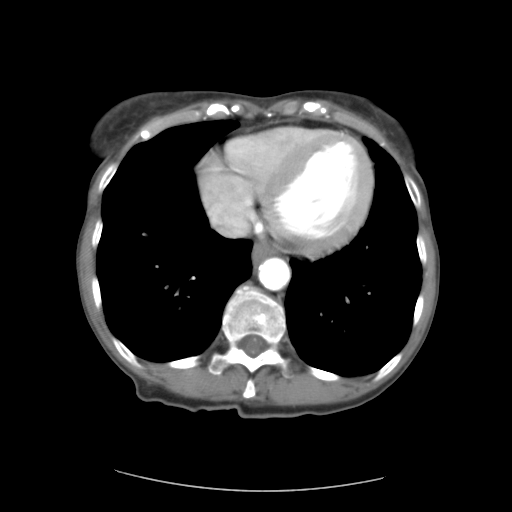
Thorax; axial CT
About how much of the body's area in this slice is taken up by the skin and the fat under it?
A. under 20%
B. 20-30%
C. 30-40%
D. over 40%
A. under 20%
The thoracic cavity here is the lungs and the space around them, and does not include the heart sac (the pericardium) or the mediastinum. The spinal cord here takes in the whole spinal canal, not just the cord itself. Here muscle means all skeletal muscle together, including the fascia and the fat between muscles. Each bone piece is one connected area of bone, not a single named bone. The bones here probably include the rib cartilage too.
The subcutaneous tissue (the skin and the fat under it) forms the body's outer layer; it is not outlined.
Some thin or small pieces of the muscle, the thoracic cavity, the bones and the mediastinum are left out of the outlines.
Outlines:
muscle: 297 97; 307 98; 308 99; 324 99; 331 101; 333 103; 335 103; 345 109; 347 109; 359 115; 375 126; 383 134; 386 139; 391 143; 393 147; 398 152; 399 155; 404 160; 423 195; 426 205; 426 210; 428 215; 428 223; 431 231; 431 237; 435 252; 435 278; 436 279; 436 285; 435 286; 435 296; 432 310; 425 330; 418 344; 403 365; 390 378; 377 388; 359 397; 347 401; 337 402; 336 403; 316 404; 315 405; 298 405; 297 406; 277 406; 276 405; 254 406; 246 404; 242 401; 237 401; 236 400; 212 401; 211 400; 184 397; 181 395; 171 392; 159 385; 149 385; 147 384; 145 380; 136 375; 126 367; 112 353; 104 343; 90 318; 82 294; 80 275; 79 274; 79 252; 85 228; 85 224; 89 212; 90 194; 98 174; 106 163; 127 141; 128 138; 140 126; 157 115; 163 115; 187 106; 192 103; 205 99; 220 99; 221 98; 242 99; 250 101; 262 107; 267 107; 279 100; 287 98; 296 98, around holes outlined by 291 101; 299 106; 316 101; 331 115; 341 112; 371 127; 419 191; 423 307; 400 360; 377 381; 375 371; 327 381; 309 372; 284 336; 277 347; 289 359; 290 377; 269 364; 251 373; 235 363; 213 374; 207 369; 211 355; 229 345; 220 333; 196 366; 173 368; 138 356; 142 367; 132 365; 115 347; 91 287; 103 173; 121 162; 135 135; 155 119; 214 102; 241 105; 231 116; 277 117 and by 249 378; 252 378; 254 381; 254 387; 255 388; 255 395; 253 397; 250 397; 249 398; 245 398; 244 397; 243 397; 243 396; 242 395; 242 393; 243 392; 243 391; 244 390; 244 389; 246 386; 246 383; 247 382; 247 380
pericardium: 290 120; 306 124; 340 126; 353 132; 363 142; 375 169; 375 187; 364 224; 349 243; 332 253; 313 260; 298 257; 291 253; 276 252; 266 248; 251 236; 224 234; 212 227; 200 200; 194 172; 194 166; 202 156; 212 146; 236 130
torso: 302 89; 368 97; 399 120; 413 141; 441 267; 437 307; 423 345; 381 394; 325 415; 249 419; 235 409; 191 412; 142 401; 131 379; 98 343; 78 294; 76 240; 98 164; 86 149; 93 124; 113 104; 142 92; 218 90; 269 96
thoracic cavity 1: 207 119; 232 120; 238 125; 192 166; 199 200; 210 228; 225 238; 251 241; 251 271; 227 300; 219 334; 203 352; 165 362; 151 361; 137 356; 112 333; 106 321; 96 272; 97 248; 103 229; 102 196; 121 161; 135 144; 169 127
thoracic cavity 2: 365 136; 383 148; 396 162; 415 208; 415 243; 421 265; 421 283; 411 328; 401 349; 374 372; 342 376; 308 364; 298 356; 285 336; 284 303; 293 274; 291 259; 314 262; 340 250; 350 243; 368 218; 376 187; 376 166; 363 141
bones 1: 241 285; 253 286; 283 305; 286 333; 277 347; 289 359; 290 377; 283 376; 279 367; 269 364; 260 366; 253 373; 240 363; 229 365; 220 374; 208 371; 211 355; 214 352; 223 353; 228 348; 227 339; 220 333; 222 316; 228 300 with a hole at 248 335; 257 335; 261 337; 265 341; 266 343; 266 347; 261 352; 260 352; 257 355; 255 356; 250 356; 248 354; 247 354; 245 352; 245 351; 239 346; 238 344; 239 342; 244 337
bones 2: 214 102; 222 103; 228 107; 237 103; 243 107; 243 110; 240 113; 232 113; 223 118; 209 117; 197 121; 172 125; 163 129; 147 140; 136 143; 133 141; 135 135; 143 127; 155 119; 187 110; 194 109; 204 110; 211 103
bones 3: 291 101; 296 101; 299 106; 306 101; 316 101; 319 102; 328 109; 331 116; 329 118; 326 118; 323 115; 318 115; 313 112; 307 112; 306 111; 303 112; 301 115; 300 115; 297 111; 291 115; 283 115; 282 114; 283 107; 287 103
bones 4: 334 112; 341 112; 344 114; 346 114; 357 120; 361 121; 366 125; 371 127; 385 142; 385 144; 386 145; 385 148; 380 146; 373 139; 368 137; 361 131; 353 127; 351 127; 348 125; 346 125; 345 124; 343 124; 336 121; 332 114
bones 5: 112 335; 116 337; 121 342; 122 342; 124 344; 124 345; 127 348; 128 348; 136 356; 137 358; 137 360; 142 365; 142 367; 141 368; 138 368; 132 365; 119 353; 119 352; 115 347; 112 341; 112 339; 111 338; 111 336
bones 6: 199 354; 203 354; 203 356; 200 359; 200 363; 198 365; 193 367; 189 367; 188 368; 173 368; 165 364; 166 362; 168 362; 169 361; 177 360; 178 359; 181 359; 182 358; 185 358; 190 356; 194 356
bones 7: 404 173; 407 174; 414 181; 419 191; 421 203; 420 204; 420 207; 418 209; 416 209; 411 199; 411 197; 409 194; 409 192; 407 189; 407 187; 406 186; 406 184; 404 180; 404 177; 403 176; 403 174
bones 8: 400 351; 401 351; 402 352; 402 356; 401 357; 400 360; 398 362; 398 363; 386 375; 385 375; 377 381; 373 381; 373 378; 375 376; 375 375; 376 374; 376 372; 380 368; 381 368; 391 358; 392 358; 397 353; 398 353
bones 9: 307 364; 313 367; 315 367; 316 368; 318 368; 319 369; 321 369; 325 371; 328 371; 329 372; 332 372; 333 373; 335 373; 341 376; 341 379; 339 380; 335 380; 334 381; 327 381; 326 380; 319 379; 313 376; 309 372; 306 366
bones 10: 113 162; 119 162; 119 164; 117 167; 117 169; 115 171; 114 174; 112 176; 111 179; 109 181; 109 182; 107 184; 103 191; 101 193; 99 193; 98 192; 98 186; 99 185; 101 177; 103 173; 107 168; 107 167; 111 163
bones 11: 93 275; 96 275; 97 279; 98 280; 98 283; 99 284; 99 289; 100 290; 100 295; 101 296; 101 303; 102 304; 102 307; 100 309; 97 309; 95 305; 95 303; 94 302; 94 299; 93 298; 92 288; 91 287; 91 280; 92 279
bones 12: 418 232; 419 232; 422 235; 423 237; 423 239; 424 240; 424 243; 425 244; 425 250; 426 251; 426 262; 423 266; 421 264; 421 262; 419 258; 419 255; 418 254; 418 250; 417 249; 417 244; 416 243; 416 238; 417 237; 417 234
bones 13: 420 292; 422 292; 422 293; 423 294; 423 307; 422 308; 421 315; 419 318; 419 320; 418 321; 418 322; 415 326; 413 326; 412 325; 412 323; 413 322; 413 314; 414 313; 415 304; 416 303; 416 301; 417 300; 418 295
bones 14: 99 217; 101 217; 101 219; 102 220; 102 229; 101 230; 101 235; 100 236; 100 238; 99 239; 97 247; 96 248; 93 248; 92 246; 92 243; 91 242; 91 240; 92 239; 92 234; 93 233; 93 230; 95 226; 96 220
mediastinum 1: 215 230; 224 235; 236 237; 251 237; 270 251; 276 253; 291 254; 298 258; 307 259; 290 259; 289 264; 292 274; 283 304; 253 285; 239 285; 247 280; 251 275; 252 264; 250 255; 253 245; 252 241; 247 238; 225 237
mediastinum 2: 233 115; 247 118; 257 116; 271 118; 293 115; 328 122; 337 122; 365 135; 362 137; 362 141; 356 133; 340 125; 306 123; 290 119; 271 121; 253 126; 244 126; 236 129; 221 141; 215 143; 238 127; 239 123; 236 120; 224 119
spinal cord: 248 335; 257 335; 261 337; 265 341; 266 343; 266 347; 261 352; 260 352; 257 355; 255 356; 250 356; 248 354; 247 354; 245 352; 245 351; 239 346; 238 344; 239 342; 244 337